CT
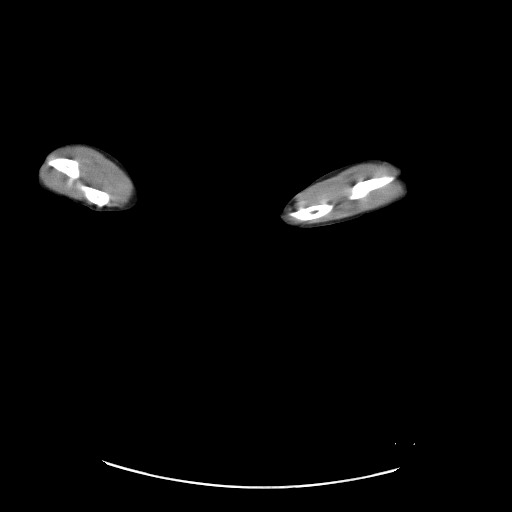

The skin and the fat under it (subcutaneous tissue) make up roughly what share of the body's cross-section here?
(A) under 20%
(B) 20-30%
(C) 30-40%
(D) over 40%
(B) 20-30%
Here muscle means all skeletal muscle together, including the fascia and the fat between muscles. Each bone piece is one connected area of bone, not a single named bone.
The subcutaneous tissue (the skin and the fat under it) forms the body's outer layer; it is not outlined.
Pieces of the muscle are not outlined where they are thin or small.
Outlines (x, y in pixels):
right arm: 67,142 84,142 95,145 109,152 120,160 130,172 137,187 139,193 139,199 137,204 130,209 122,210 121,211 94,211 89,209 87,207 74,203 70,200 60,198 42,189 37,183 37,174 46,154 52,148
left arm: 372,158 388,160 401,167 401,169 404,171 404,179 409,189 409,195 405,199 373,213 368,213 356,219 332,225 307,228 296,227 286,225 278,218 278,212 282,206 292,196 299,192 316,178 341,166 359,160
muscle 1: 370,162 385,162 391,164 401,172 400,175 404,183 404,192 400,196 375,208 338,219 318,222 300,222 316,220 330,213 335,206 333,203 326,201 304,206 292,210 287,214 291,204 316,183 334,176 352,166, around a hole outlined by 382,175 393,175 395,178 392,181 386,184 384,186 382,186 377,189 372,190 365,197 363,198 361,198 360,199 353,199 352,200 348,198 347,194 352,186 356,182 359,180 366,180 372,177 378,177
muscle 2: 73,145 89,147 101,153 124,173 130,186 129,197 124,203 109,205 111,194 79,181 76,186 87,201 57,192 41,181 38,170 44,159 48,166 69,179 77,180 80,177 78,159 65,156 47,157 58,148
bones 1: 382,175 393,175 395,178 392,181 386,184 384,186 382,186 377,189 372,190 365,197 363,198 361,198 360,199 353,199 352,200 348,198 347,194 352,186 356,182 359,180 366,180 372,177 378,177
bones 2: 322,202 331,203 333,204 334,206 330,212 326,215 322,216 319,218 313,219 312,220 307,220 306,221 300,221 298,222 292,219 288,215 288,214 292,211 295,211 298,209 304,207 307,207 314,204 320,204
bones 3: 54,157 65,157 66,158 69,158 70,159 76,159 78,160 79,162 79,171 80,172 80,175 79,177 77,179 72,179 71,178 69,178 64,173 57,170 52,166 48,165 46,163 46,159 47,158 53,158
bones 4: 79,182 85,185 87,185 88,186 90,186 91,187 99,189 102,191 105,191 107,192 110,195 111,195 111,198 109,201 109,204 108,205 98,206 94,203 91,203 89,202 85,198 83,193 78,188 77,184